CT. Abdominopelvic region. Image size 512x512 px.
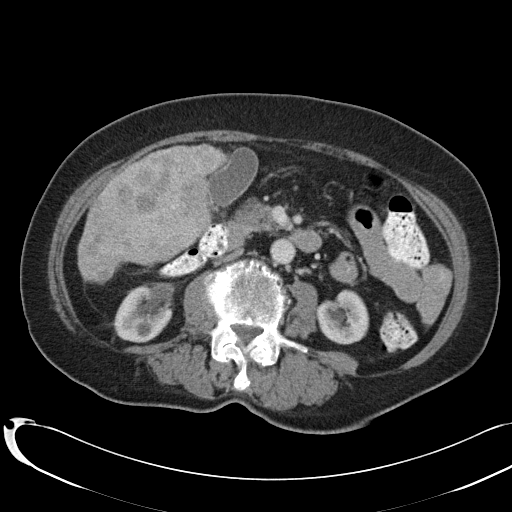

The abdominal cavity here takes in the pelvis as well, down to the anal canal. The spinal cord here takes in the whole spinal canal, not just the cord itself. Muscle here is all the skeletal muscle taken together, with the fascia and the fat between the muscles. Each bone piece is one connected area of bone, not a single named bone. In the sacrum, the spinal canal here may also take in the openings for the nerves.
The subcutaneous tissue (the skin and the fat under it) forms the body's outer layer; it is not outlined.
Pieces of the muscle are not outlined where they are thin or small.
Outlines (x, y in pixels):
abdominal cavity: (254, 140) (381, 170) (433, 222) (453, 286) (437, 329) (414, 355) (362, 371) (345, 351) (307, 345) (317, 329) (316, 287) (300, 279) (283, 287) (280, 274) (255, 258) (194, 277) (183, 292) (183, 324) (167, 340) (120, 347) (79, 319) (65, 248) (108, 183) (165, 145)
spinal cord: (234, 324) (238, 324) (239, 325) (245, 325) (246, 326) (252, 326) (253, 327) (259, 327) (261, 328) (262, 330) (259, 334) (256, 335) (250, 341) (249, 341) (247, 343) (242, 343) (241, 342) (238, 344) (238, 343) (240, 342) (240, 338) (231, 327) (231, 326)
bones: (241, 259) (261, 261) (279, 274) (291, 303) (278, 329) (285, 337) (305, 345) (307, 352) (282, 345) (277, 361) (266, 366) (248, 358) (250, 383) (237, 390) (233, 386) (239, 371) (236, 363) (232, 359) (220, 362) (211, 356) (208, 332) (218, 319) (203, 281) (208, 273); inner edge: (234, 324) (238, 324) (239, 325) (245, 325) (246, 326) (252, 326) (253, 327) (259, 327) (261, 328) (262, 330) (259, 334) (256, 335) (250, 341) (249, 341) (247, 343) (242, 343) (241, 342) (238, 344) (238, 343) (240, 342) (240, 338) (231, 327) (231, 326)
torso: (219, 92) (299, 94) (374, 109) (435, 140) (472, 171) (495, 227) (500, 292) (491, 334) (471, 368) (363, 427) (303, 433) (275, 426) (235, 402) (204, 413) (115, 402) (70, 379) (42, 355) (23, 314) (19, 265) (31, 216) (59, 164) (85, 137) (125, 114) (170, 99)
muscle 1: (213, 129) (239, 130) (272, 137) (297, 138) (303, 140) (324, 142) (342, 148) (346, 148) (371, 157) (374, 160) (389, 168) (393, 172) (398, 173) (401, 176) (405, 177) (414, 183) (423, 186) (440, 198) (450, 208) (461, 224) (466, 236) (470, 258) (470, 271) (467, 299) (460, 320) (445, 343) (427, 360) (417, 366) (404, 370) (400, 373) (389, 374) (379, 377) (362, 378) (349, 376) (347, 378) (348, 382) (340, 385) (337, 391) (323, 404) (319, 406) (317, 405) (307, 406) (300, 404) (293, 408) (280, 411) (272, 410) (267, 407) (261, 406) (254, 402) (247, 394) (244, 393) (229, 393) (215, 399) (205, 399) (196, 397) (181, 387) (179, 387) (178, 388) (180, 389) (178, 390) (176, 389) (178, 388) (177, 387) (160, 384) (156, 380) (156, 377) (150, 371) (150, 368) (143, 362) (137, 361) (136, 355) (116, 352) (107, 347) (102, 347) (92, 343) (88, 336) (79, 335) (69, 330) (62, 322) (58, 313) (53, 307) (54, 301) (50, 294) (47, 273) (48, 255) (52, 235) (60, 212) (69, 196) (89, 176) (103, 166) (128, 156) (147, 145) (158, 140) (181, 133) with a hole at (254, 140) (381, 170) (433, 222) (453, 286) (414, 355) (362, 371) (345, 351) (282, 345) (272, 365) (248, 358) (250, 383) (237, 390) (236, 363) (211, 356) (209, 271) (185, 287) (183, 324) (167, 340) (120, 347) (79, 319) (65, 248) (108, 183) (165, 145)
muscle 2: (296, 280) (300, 280) (312, 284) (317, 291) (317, 307) (315, 310) (315, 324) (316, 325) (316, 329) (303, 342) (305, 344) (285, 336) (279, 329) (279, 323) (283, 318) (284, 313) (292, 303) (292, 299) (286, 294) (286, 291) (284, 289) (284, 287) (287, 284) (290, 284)